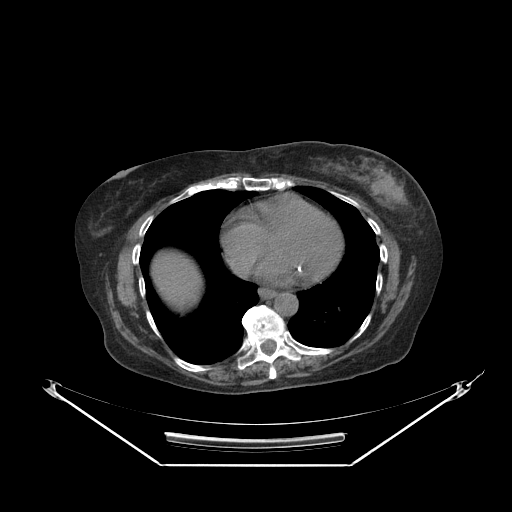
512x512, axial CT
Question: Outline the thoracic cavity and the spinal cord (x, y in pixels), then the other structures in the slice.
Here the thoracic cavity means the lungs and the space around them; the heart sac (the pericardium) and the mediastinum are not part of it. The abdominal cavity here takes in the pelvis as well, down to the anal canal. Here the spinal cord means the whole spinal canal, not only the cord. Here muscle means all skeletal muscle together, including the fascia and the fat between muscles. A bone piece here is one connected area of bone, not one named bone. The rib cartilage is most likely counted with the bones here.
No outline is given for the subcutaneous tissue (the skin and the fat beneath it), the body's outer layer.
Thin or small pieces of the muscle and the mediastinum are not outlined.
Answer: thoracic cavity 1: 215 189; 257 192; 233 207; 225 216; 219 230; 219 245; 225 267; 237 277; 257 286; 258 301; 241 317; 245 335; 236 351; 221 361; 197 364; 176 355; 160 333; 145 297; 146 285; 139 265; 140 253; 149 227; 163 210; 199 192, around a hole outlined by 165 246; 175 246; 178 248; 181 248; 183 250; 185 250; 191 254; 199 264; 199 266; 201 268; 205 279; 205 292; 199 305; 195 310; 182 317; 174 313; 172 313; 162 303; 152 285; 152 282; 149 275; 149 264; 152 256; 158 249
thoracic cavity 2: 297 185; 324 189; 355 207; 373 231; 378 245; 379 262; 375 294; 369 312; 345 342; 333 347; 304 344; 295 339; 287 327; 287 323; 299 309; 297 293; 325 280; 340 263; 346 246; 342 228; 336 218; 319 203; 296 190; 293 187
spinal cord: 267 340; 272 340; 273 341; 274 341; 275 342; 275 348; 274 349; 274 350; 270 354; 267 354; 266 353; 265 353; 262 350; 262 349; 261 348; 261 345; 264 342; 265 342
torso: 301 140; 347 143; 379 151; 403 166; 430 201; 442 237; 443 261; 432 300; 406 356; 397 363; 347 380; 247 394; 188 389; 138 374; 118 364; 104 347; 101 325; 80 284; 74 223; 88 194; 119 170; 161 157; 204 149; 245 150
muscle 1: 184 188; 169 199; 155 217; 151 213; 143 220; 138 229; 142 243; 135 243; 131 250; 131 262; 139 266; 141 273; 137 278; 139 295; 145 298; 148 306; 145 318; 155 335; 175 355; 174 363; 182 369; 194 373; 209 371; 212 364; 232 356; 238 370; 260 361; 267 363; 268 381; 255 385; 214 385; 198 380; 140 351; 115 327; 105 284; 107 276; 111 281; 114 279; 126 233; 157 201
muscle 2: 270 172; 284 173; 322 181; 357 195; 372 209; 393 234; 401 251; 401 271; 405 272; 412 257; 414 256; 415 258; 414 279; 409 296; 401 311; 381 338; 367 349; 307 376; 286 377; 282 375; 275 379; 277 377; 277 371; 274 362; 279 357; 298 362; 302 359; 303 355; 327 355; 334 351; 334 347; 346 342; 350 344; 357 339; 370 324; 373 315; 370 310; 374 297; 381 293; 384 278; 382 272; 378 271; 378 265; 380 261; 383 264; 387 263; 388 249; 383 242; 378 244; 376 241; 376 236; 379 236; 382 233; 378 223; 370 216; 365 218; 359 210; 362 206; 352 197; 332 189; 296 184; 289 178; 260 176; 263 173
muscle 3: 239 171; 241 172; 246 172; 247 173; 249 173; 252 176; 240 176; 239 175; 236 175; 235 176; 228 176; 227 177; 225 177; 224 178; 222 178; 215 181; 211 180; 207 182; 198 182; 197 183; 194 183; 187 186; 190 184; 198 182; 201 180; 204 180; 208 178; 211 178; 212 177; 214 177; 221 174; 224 174; 225 173; 231 173; 232 172; 238 172
abdominal cavity: 165 246; 175 246; 178 248; 181 248; 183 250; 185 250; 191 254; 199 264; 199 266; 201 268; 205 279; 205 292; 199 305; 195 310; 182 317; 174 313; 172 313; 162 303; 152 285; 152 282; 149 275; 149 264; 152 256; 158 249
mediastinum 1: 221 252; 223 260; 228 267; 233 272; 244 278; 276 289; 301 290; 299 290; 296 293; 299 304; 298 309; 286 323; 284 319; 271 307; 263 303; 257 304; 259 301; 259 296; 257 292; 258 286; 255 283; 245 280; 232 273; 224 264
mediastinum 2: 288 188; 293 188; 296 191; 310 198; 314 201; 299 193; 293 192; 292 191; 286 191; 285 192; 280 192; 279 193; 269 193; 266 195; 251 198; 239 204; 245 200; 253 197; 256 195; 258 192; 269 191; 270 190; 285 190
bones 1: 261 304; 271 308; 283 319; 290 334; 298 342; 311 347; 333 348; 333 351; 323 355; 303 354; 298 361; 279 356; 273 362; 276 371; 274 379; 269 378; 269 364; 262 360; 238 369; 233 355; 241 346; 246 335; 242 317; 249 308 with a hole at 267 340; 272 340; 273 341; 274 341; 275 342; 275 348; 274 349; 274 350; 270 354; 267 354; 266 353; 265 353; 262 350; 262 349; 261 348; 261 345; 264 342; 265 342
bones 2: 236 176; 279 177; 293 181; 296 185; 292 187; 288 187; 285 189; 270 189; 261 191; 244 189; 229 190; 223 188; 207 189; 199 191; 189 197; 167 205; 169 200; 180 194; 191 185; 198 183; 207 183; 211 181; 215 182; 228 177
bones 3: 174 356; 177 356; 184 361; 188 362; 189 363; 191 363; 192 364; 196 364; 197 365; 211 365; 212 368; 209 370; 206 370; 205 371; 198 371; 197 372; 194 372; 193 371; 189 371; 186 369; 182 368; 180 366; 176 364; 173 359
bones 4: 370 312; 372 314; 372 315; 371 316; 371 319; 370 320; 370 322; 367 326; 367 327; 364 330; 364 331; 357 338; 356 338; 352 342; 350 343; 348 343; 347 341; 358 330; 362 322; 364 320; 366 316
bones 5: 327 190; 332 190; 333 191; 335 191; 338 193; 340 193; 341 194; 346 195; 347 196; 352 198; 354 200; 355 200; 361 206; 361 208; 358 209; 355 206; 354 206; 353 205; 352 205; 351 204; 338 198; 333 194; 330 193
bones 6: 151 214; 152 214; 154 216; 154 218; 152 220; 150 225; 148 227; 148 228; 147 229; 147 230; 146 231; 144 236; 143 237; 140 237; 139 236; 139 229; 140 228; 140 226; 141 225; 141 224; 144 221; 144 220; 149 215; 150 215
bones 7: 148 309; 153 318; 153 320; 155 323; 155 325; 156 326; 159 333; 161 335; 161 336; 163 339; 162 340; 161 339; 160 339; 153 331; 153 330; 151 328; 151 327; 146 318; 146 314; 145 313; 145 312; 146 311; 146 310; 147 310
bones 8: 137 243; 139 243; 141 245; 141 247; 140 248; 140 252; 139 253; 139 263; 137 265; 135 265; 132 262; 132 250; 133 249; 133 247; 135 245; 135 244; 136 244
bones 9: 381 243; 383 243; 385 245; 385 246; 386 247; 386 248; 387 249; 387 261; 386 262; 386 263; 383 263; 380 260; 380 251; 379 250; 379 244; 380 244
bones 10: 368 217; 370 217; 373 220; 374 220; 379 226; 379 227; 380 228; 380 230; 381 231; 381 233; 379 235; 376 235; 375 234; 374 231; 372 229; 372 228; 370 226; 370 225; 367 222; 367 221; 366 220; 366 218; 367 218
bones 11: 378 272; 381 272; 381 273; 382 274; 382 277; 383 278; 383 280; 382 281; 382 287; 381 288; 381 290; 380 291; 380 293; 378 295; 376 295; 376 278; 377 277; 377 273
bones 12: 141 275; 142 276; 142 277; 143 278; 143 280; 144 281; 144 284; 145 285; 145 296; 144 297; 144 298; 143 298; 140 295; 140 292; 139 291; 139 287; 138 286; 138 278
pericardium: 286 192; 299 194; 327 210; 338 222; 345 242; 343 255; 335 269; 321 282; 304 289; 276 288; 254 281; 236 273; 224 260; 222 255; 222 248; 220 245; 220 230; 222 223; 226 216; 232 210; 251 199; 266 196; 269 194; 279 194